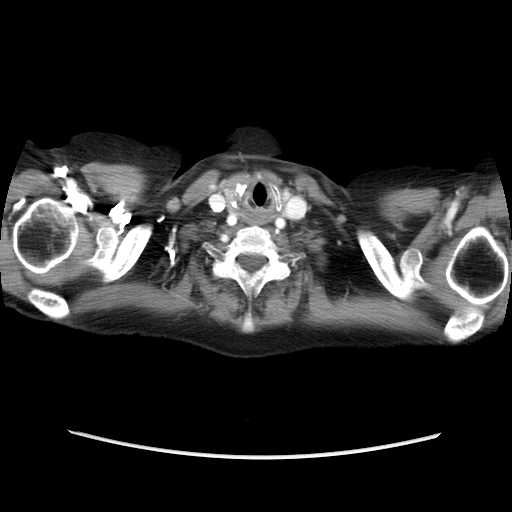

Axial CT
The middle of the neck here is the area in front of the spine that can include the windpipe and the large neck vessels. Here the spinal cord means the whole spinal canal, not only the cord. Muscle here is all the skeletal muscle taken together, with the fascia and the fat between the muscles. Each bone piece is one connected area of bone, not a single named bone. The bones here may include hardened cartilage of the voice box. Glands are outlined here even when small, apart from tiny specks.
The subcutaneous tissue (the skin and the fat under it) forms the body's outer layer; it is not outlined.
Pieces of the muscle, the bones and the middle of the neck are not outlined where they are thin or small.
The torso is outlined by [[82,131],[179,145],[185,156],[178,174],[218,151],[283,157],[338,183],[372,166],[465,171],[432,230],[433,260],[451,292],[501,325],[499,331],[462,349],[319,349],[234,358],[23,316],[6,307],[3,295],[56,287],[86,248],[86,221],[60,146]]. The right arm is outlined by [[30,138],[35,140],[43,148],[60,147],[64,159],[64,165],[85,221],[86,244],[84,251],[75,267],[70,274],[56,286],[50,289],[29,293],[3,294],[3,284],[0,274],[0,229],[2,224],[5,194],[9,184],[9,176],[15,170],[23,149]]. The spinal cord is outlined by [[241,254],[243,254],[244,255],[260,255],[261,256],[263,256],[264,257],[265,257],[267,259],[267,261],[264,264],[263,264],[258,269],[257,269],[252,272],[249,272],[247,270],[244,269],[240,265],[240,264],[237,261],[237,257],[239,255],[240,255]]. The middle of the neck is outlined by [[260,179],[273,182],[275,208],[281,210],[282,215],[288,211],[295,192],[308,201],[308,214],[290,223],[279,235],[256,224],[230,227],[208,204],[208,197],[216,189],[221,189],[228,210],[239,216],[233,202],[237,196],[239,200],[243,197],[248,182]]. The bones appear in 7 outlined pieces: piece 1: [[46,196],[64,202],[63,203],[64,204],[70,207],[73,210],[73,213],[77,222],[79,231],[75,246],[70,255],[66,259],[43,273],[35,273],[27,269],[20,262],[16,256],[12,245],[13,244],[12,241],[12,229],[14,223],[32,202],[39,198]]; piece 2: [[475,226],[484,226],[489,230],[493,237],[496,240],[497,243],[503,249],[508,261],[508,273],[504,284],[503,290],[492,300],[480,305],[472,304],[458,294],[448,285],[445,278],[445,267],[446,266],[448,255],[450,251],[456,245],[459,240],[471,228]]; piece 3: [[252,225],[266,228],[277,246],[292,253],[304,252],[306,256],[291,267],[291,275],[289,277],[283,280],[267,282],[257,295],[253,295],[249,299],[235,280],[213,275],[211,269],[213,258],[202,245],[206,241],[224,251],[226,249],[225,246],[240,228]] with a hole at [[241,254],[243,254],[244,255],[260,255],[261,256],[263,256],[264,257],[265,257],[267,259],[267,261],[264,264],[263,264],[258,269],[257,269],[252,272],[249,272],[247,270],[244,269],[240,265],[240,264],[237,261],[237,257],[239,255],[240,255]]; piece 4: [[358,231],[371,231],[377,236],[392,256],[398,270],[399,261],[403,252],[405,250],[409,250],[411,255],[415,258],[417,255],[416,250],[418,250],[423,258],[419,273],[430,287],[415,289],[406,299],[400,299],[390,293],[379,281],[363,254],[357,239]]; piece 5: [[137,225],[143,226],[151,225],[152,233],[135,263],[122,276],[113,281],[105,282],[103,280],[103,275],[99,270],[81,263],[82,260],[89,258],[94,254],[97,247],[96,235],[99,228],[112,227],[117,232],[118,238],[121,240],[129,230]]; piece 6: [[469,307],[473,307],[476,309],[478,309],[483,313],[484,315],[484,318],[483,319],[483,322],[482,323],[481,327],[475,333],[461,341],[459,341],[456,343],[449,341],[443,333],[443,330],[444,329],[446,322],[451,315],[455,314],[459,316],[465,313]]; piece 7: [[33,288],[40,288],[47,291],[53,292],[63,297],[65,299],[67,303],[67,305],[69,308],[69,314],[65,317],[63,318],[60,318],[59,319],[53,319],[49,317],[47,315],[44,314],[36,307],[35,307],[29,301],[27,297],[28,293]]. The muscle is outlined by [[238,153],[261,155],[265,159],[249,161],[273,170],[300,168],[355,214],[390,188],[501,179],[511,235],[505,316],[478,331],[485,318],[480,309],[469,306],[459,315],[451,314],[442,330],[450,344],[375,328],[284,325],[243,334],[213,321],[128,309],[89,313],[68,324],[54,320],[70,314],[60,294],[33,287],[27,302],[8,293],[0,274],[0,229],[13,171],[45,172],[66,162],[126,163],[179,191]], around holes outlined by [[258,176],[308,201],[305,217],[279,235],[269,232],[277,246],[306,256],[291,267],[289,277],[267,282],[249,299],[235,280],[213,275],[213,258],[202,245],[206,241],[224,251],[240,228],[219,217],[208,204],[210,194],[221,189],[223,182],[247,183]] and by [[46,196],[64,202],[63,203],[64,204],[70,207],[73,210],[73,213],[77,222],[79,231],[75,246],[70,255],[66,259],[43,273],[35,273],[27,269],[20,262],[16,256],[12,245],[13,244],[12,241],[12,229],[14,223],[32,202],[39,198]] and by [[475,226],[484,226],[489,230],[493,237],[496,240],[497,243],[503,249],[508,261],[508,273],[504,284],[503,290],[492,300],[480,305],[472,304],[458,294],[448,285],[445,278],[445,267],[446,266],[448,255],[450,251],[456,245],[459,240],[471,228]] and by [[358,231],[371,231],[377,236],[392,256],[398,270],[399,261],[403,252],[405,250],[409,250],[411,255],[415,258],[417,255],[416,250],[418,250],[423,258],[419,273],[430,287],[415,289],[406,299],[400,299],[390,293],[379,281],[363,254],[357,239]] and by [[137,225],[143,226],[151,225],[152,233],[135,263],[122,276],[113,281],[105,282],[103,280],[103,275],[99,270],[81,263],[82,260],[89,258],[94,254],[97,247],[96,235],[99,228],[112,227],[117,232],[118,238],[121,240],[129,230]] and by [[249,306],[250,306],[250,310],[251,311],[251,315],[252,316],[252,321],[253,322],[253,330],[251,332],[244,332],[242,330],[242,328],[241,327],[242,326],[242,324],[244,320],[244,317],[245,316],[245,314],[248,310],[248,308]] and by [[22,197],[24,197],[25,198],[25,203],[24,204],[24,205],[22,207],[22,208],[21,208],[19,210],[16,210],[15,211],[14,211],[13,210],[13,205],[16,202],[17,202]] and by [[294,276],[298,276],[301,279],[301,284],[300,285],[297,285],[295,283],[294,283],[294,280],[293,279],[293,278],[294,277]]. The left arm is outlined by [[483,148],[487,149],[499,178],[502,181],[508,212],[509,232],[511,235],[511,284],[509,291],[509,302],[506,314],[503,317],[502,324],[497,323],[474,310],[452,292],[441,276],[435,263],[433,254],[433,230],[466,171],[472,169],[474,160],[481,154]]. The thyroid glands appear in 2 outlined pieces: piece 1: [[223,182],[227,182],[231,185],[234,185],[235,184],[234,186],[234,191],[236,195],[236,199],[235,199],[232,202],[232,203],[236,206],[236,210],[239,214],[239,215],[235,215],[229,210],[229,208],[227,204],[227,201],[226,200],[226,197],[221,186]]; piece 2: [[285,188],[287,188],[288,189],[289,189],[291,191],[291,200],[288,203],[288,206],[287,207],[287,211],[284,214],[282,214],[282,210],[283,209],[283,208],[284,207],[284,203],[283,202],[283,197],[282,196],[282,194],[283,193],[283,190]]. The head and neck is outlined by [[238,122],[254,122],[258,124],[264,125],[271,129],[281,140],[285,147],[286,151],[285,153],[282,155],[283,156],[261,155],[260,154],[254,154],[253,153],[239,152],[234,150],[220,150],[222,149],[222,146],[218,142],[218,139],[230,126]].